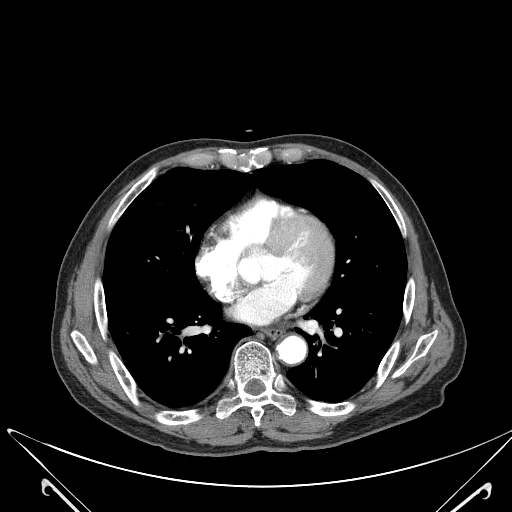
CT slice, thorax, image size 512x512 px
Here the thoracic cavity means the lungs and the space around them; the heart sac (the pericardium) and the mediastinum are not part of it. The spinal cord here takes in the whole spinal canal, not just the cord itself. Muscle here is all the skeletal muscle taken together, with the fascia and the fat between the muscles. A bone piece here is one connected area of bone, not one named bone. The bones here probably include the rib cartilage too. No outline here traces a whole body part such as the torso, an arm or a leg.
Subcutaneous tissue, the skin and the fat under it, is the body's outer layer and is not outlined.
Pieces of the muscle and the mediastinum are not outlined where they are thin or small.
The pericardium is outlined by [[256,190],[311,212],[328,228],[333,236],[335,246],[331,281],[329,287],[317,303],[297,317],[283,323],[267,326],[251,326],[227,318],[222,310],[222,305],[210,296],[204,288],[204,285],[198,278],[195,267],[195,258],[200,242],[208,228],[227,210]]. The bones appear in 12 outlined pieces: piece 1: [[250,340],[258,341],[270,350],[275,369],[284,376],[289,390],[297,399],[296,410],[292,415],[283,413],[273,404],[266,404],[258,427],[248,406],[239,407],[223,419],[215,415],[213,407],[214,399],[223,390],[224,379],[232,369],[231,358],[234,350]]; inner edge: [[252,379],[258,379],[259,380],[260,380],[262,382],[262,383],[264,386],[264,388],[263,389],[263,390],[258,394],[252,394],[251,393],[250,393],[249,392],[248,392],[246,390],[246,386],[247,385],[247,384],[248,383],[248,382],[250,380],[251,380]]; piece 2: [[262,146],[268,146],[273,151],[283,148],[297,147],[305,151],[303,158],[299,161],[290,163],[275,159],[263,167],[254,168],[247,172],[221,165],[212,168],[194,167],[186,165],[181,161],[183,157],[190,154],[213,152],[219,147],[247,151],[251,148]]; piece 3: [[153,166],[157,166],[158,167],[157,176],[138,194],[138,195],[131,202],[131,203],[126,208],[117,220],[113,226],[111,231],[110,232],[108,232],[107,231],[108,221],[112,213],[118,205],[121,198],[129,190],[129,189],[138,180],[139,180],[150,168]]; piece 4: [[109,349],[112,349],[119,356],[125,367],[135,381],[139,389],[139,391],[137,393],[141,402],[141,404],[139,406],[136,406],[130,400],[122,388],[120,383],[118,381],[118,379],[112,368],[112,366],[109,360],[109,357],[108,356],[108,350]]; piece 5: [[192,408],[198,408],[200,411],[203,413],[203,417],[196,421],[190,422],[186,424],[177,424],[176,425],[163,424],[158,422],[153,417],[154,412],[160,409],[169,409],[170,410],[178,410],[180,411],[181,410],[186,410],[187,409],[191,409]]; piece 6: [[304,397],[309,398],[312,400],[321,401],[327,403],[337,403],[345,400],[352,400],[356,403],[356,406],[353,410],[345,414],[342,414],[341,415],[334,415],[333,416],[324,416],[323,415],[319,415],[310,411],[307,408],[307,404],[303,399]]; piece 7: [[97,277],[100,277],[101,278],[102,285],[103,286],[104,300],[105,301],[105,309],[107,314],[107,325],[108,326],[108,332],[107,333],[107,339],[106,340],[104,340],[101,336],[101,333],[97,324],[95,311],[94,310],[93,289],[94,288],[94,282]]; piece 8: [[435,329],[437,329],[438,330],[438,333],[436,338],[429,348],[427,353],[425,355],[415,360],[401,375],[394,378],[391,377],[391,375],[410,357],[413,352],[415,344],[418,338],[421,335],[425,333],[430,332]]; piece 9: [[396,338],[399,339],[400,341],[399,351],[396,357],[396,359],[388,375],[383,381],[382,384],[375,390],[374,389],[374,385],[375,384],[375,375],[376,374],[377,368],[380,362],[382,360],[384,355],[386,353],[387,350],[391,345],[392,342],[394,339]]; piece 10: [[368,177],[371,177],[379,182],[386,188],[391,195],[393,200],[397,205],[402,215],[403,220],[405,223],[405,226],[406,227],[406,237],[404,238],[402,237],[400,230],[396,223],[396,221],[392,215],[389,208],[380,194],[367,180],[367,178]]; piece 11: [[72,330],[78,330],[81,333],[82,333],[83,334],[83,335],[86,338],[87,341],[91,346],[91,347],[97,358],[97,363],[96,364],[91,364],[89,362],[88,362],[83,356],[83,355],[79,351],[79,350],[75,345],[75,344],[70,335],[70,333]]; piece 12: [[410,276],[412,276],[414,279],[414,282],[415,283],[415,296],[414,297],[413,307],[411,311],[409,321],[407,324],[405,324],[404,323],[404,319],[403,318],[403,301],[404,300],[404,293],[405,292],[405,288],[406,287],[407,279],[408,277]]. The muscle appears in 2 outlined pieces: piece 1: [[212,146],[218,147],[213,151],[183,156],[180,161],[185,165],[172,167],[158,175],[159,167],[150,167],[120,198],[107,221],[106,231],[110,233],[101,277],[97,276],[93,282],[93,310],[101,338],[106,341],[109,332],[118,353],[112,348],[107,350],[111,368],[136,407],[142,404],[140,390],[162,408],[155,410],[152,417],[160,424],[176,426],[202,419],[204,413],[197,407],[213,400],[214,415],[219,420],[228,418],[241,407],[248,407],[257,428],[266,405],[273,405],[283,414],[292,416],[297,410],[298,399],[294,394],[297,393],[304,396],[306,408],[319,416],[341,416],[353,411],[357,403],[350,398],[372,377],[375,391],[389,375],[401,346],[400,339],[395,336],[402,318],[405,325],[409,323],[416,296],[415,279],[407,275],[406,223],[387,188],[411,219],[428,283],[434,284],[440,303],[453,324],[454,348],[446,364],[414,392],[344,421],[327,436],[296,441],[272,439],[257,431],[240,444],[199,443],[127,417],[93,397],[68,369],[60,348],[59,332],[71,276],[99,221],[129,181],[160,160]], around holes outlined by [[435,329],[437,329],[438,330],[438,333],[436,338],[429,348],[427,353],[425,355],[415,360],[401,375],[394,378],[391,377],[391,375],[410,357],[413,352],[415,344],[418,338],[421,335],[425,333],[430,332]] and by [[72,330],[78,330],[81,333],[82,333],[83,334],[83,335],[86,338],[87,341],[91,346],[91,347],[97,358],[97,363],[96,364],[91,364],[89,362],[88,362],[83,356],[83,355],[79,351],[79,350],[75,345],[75,344],[70,335],[70,333]]; piece 2: [[280,143],[303,143],[345,156],[355,161],[375,174],[382,181],[386,187],[375,178],[371,176],[368,176],[366,179],[355,171],[337,163],[335,161],[332,161],[325,158],[303,159],[306,151],[297,146],[283,147],[276,150],[273,150],[268,145],[273,145]]. The mediastinum appears in 2 outlined pieces: piece 1: [[303,314],[294,329],[299,334],[304,336],[308,344],[307,357],[305,361],[288,369],[284,375],[276,369],[274,357],[271,350],[262,342],[255,339],[250,339],[242,342],[234,349],[241,339],[252,334],[252,329],[249,326],[267,327],[279,325],[297,318]]; piece 2: [[253,180],[254,180],[254,183],[258,189],[256,189],[254,191],[253,191],[251,193],[250,193],[247,196],[246,196],[243,199],[242,199],[241,200],[241,201],[240,201],[238,203],[237,203],[235,205],[234,205],[243,197],[243,196],[248,190],[248,189]]. The spinal cord is outlined by [[252,379],[258,379],[259,380],[260,380],[262,382],[262,383],[264,386],[264,388],[263,389],[263,390],[258,394],[252,394],[251,393],[250,393],[249,392],[248,392],[246,390],[246,386],[247,385],[247,384],[248,383],[248,382],[250,380],[251,380]]. The thoracic cavity is outlined by [[309,159],[364,178],[403,239],[402,317],[375,374],[337,402],[290,390],[286,373],[309,353],[295,327],[330,287],[335,239],[253,179],[194,258],[222,317],[251,334],[234,346],[215,398],[163,408],[109,331],[102,275],[114,226],[172,168],[252,174]].